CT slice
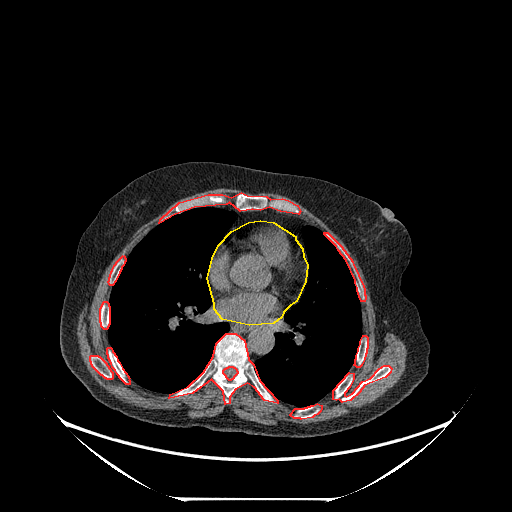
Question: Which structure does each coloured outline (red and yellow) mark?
Answer: red: bones; yellow: pericardium.
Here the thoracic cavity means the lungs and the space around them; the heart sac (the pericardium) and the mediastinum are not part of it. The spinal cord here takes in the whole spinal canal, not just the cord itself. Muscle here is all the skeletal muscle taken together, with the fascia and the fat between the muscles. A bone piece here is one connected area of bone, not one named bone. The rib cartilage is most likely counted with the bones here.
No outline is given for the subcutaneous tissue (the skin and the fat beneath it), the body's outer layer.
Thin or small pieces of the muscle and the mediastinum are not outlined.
The bones appear in 10 outlined pieces: piece 1: 226,333 235,333 244,340 248,359 253,364 259,380 277,400 277,403 264,400 254,387 247,383 235,389 229,397 229,403 225,404 223,391 211,379 192,393 169,398 170,394 188,386 203,372 213,356 216,343, around a hole outlined by 229,366 232,366 233,367 234,367 236,369 236,370 237,371 237,373 233,377 233,378 232,379 231,379 230,380 229,380 226,377 226,376 223,373 223,370 225,368 226,368 227,367 228,367; piece 2: 241,192 247,195 266,196 270,199 282,198 288,200 297,205 300,211 298,214 280,211 269,207 260,210 252,209 240,211 229,202 226,204 194,207 175,214 159,223 160,219 179,202 208,194 222,194 231,197; piece 3: 384,365 388,365 391,368 390,372 385,377 364,385 359,392 350,400 342,402 339,399 336,400 333,399 333,390 349,372 353,373 353,379 349,387 344,393 344,395 346,396 352,393 362,381 370,378 379,368; piece 4: 324,232 327,232 341,246 352,261 353,265 358,274 358,276 362,283 364,289 364,294 365,295 365,299 364,301 361,301 360,299 357,290 357,287 355,283 355,280 346,260 338,250 336,246 324,234; piece 5: 317,403 321,405 321,409 320,411 317,414 314,415 312,417 301,419 300,418 294,418 290,415 290,414 295,408 304,408 305,407 307,407 308,406 310,406 311,405 313,405; piece 6: 91,355 97,355 98,356 99,356 106,363 106,364 108,366 108,367 110,369 110,370 112,372 112,378 111,379 107,379 106,378 105,378 102,375 101,375 92,366 92,365 91,364 91,362 90,361 90,356; piece 7: 108,347 110,347 111,348 112,351 116,356 117,360 119,362 122,368 128,376 129,378 128,379 129,380 129,384 126,384 119,377 119,376 117,374 115,370 112,367 111,363 108,358 108,355 107,354 107,348; piece 8: 363,335 365,335 367,337 367,348 366,349 366,353 365,354 364,359 361,365 359,367 357,367 355,365 354,365 354,364 355,363 355,359 356,358 356,355 358,351 358,348 360,344 360,341; piece 9: 104,301 106,301 108,303 108,305 109,306 109,324 108,325 108,326 107,327 107,328 106,329 104,329 101,326 101,323 100,322 100,308 101,307 101,306 102,305 102,304 103,303 103,302; piece 10: 123,255 125,258 125,261 124,262 123,265 121,267 121,269 120,270 120,271 119,272 115,281 112,285 110,285 109,284 108,281 109,280 109,277 110,276 111,271 112,270 114,265 116,263 116,262. The pericardium is outlined by 260,220 273,222 295,236 295,239 302,248 303,256 307,265 305,281 296,301 290,305 283,312 281,317 273,323 249,325 222,319 214,309 214,303 207,278 212,258 218,245 231,231 248,222. The thoracic cavity appears in 2 outlined pieces: piece 1: 217,205 234,211 235,219 214,250 205,280 211,295 209,309 217,320 227,322 229,329 217,340 206,366 191,383 172,393 152,391 129,377 111,347 107,329 110,324 109,299 112,286 128,255 154,227 185,211; piece 2: 306,225 312,225 323,232 345,260 360,300 362,335 354,363 332,391 316,403 294,407 277,399 266,388 255,370 254,362 274,348 275,333 284,322 284,315 299,301 304,292 309,275 309,263 303,239 303,228. The muscle is outlined by 216,188 253,194 208,193 177,202 126,257 123,254 113,265 107,281 111,290 108,302 104,300 99,308 99,322 107,332 110,346 106,354 118,377 126,385 130,384 130,378 144,389 169,394 172,400 198,391 211,380 222,391 225,405 230,403 235,390 249,384 264,401 277,404 278,400 291,406 294,408 289,415 303,420 321,411 318,402 328,394 332,392 334,401 350,401 364,386 391,372 392,368 384,364 345,395 354,379 350,369 362,365 368,348 368,337 363,334 361,302 366,299 363,283 342,246 327,231 298,215 301,211 297,204 282,197 256,194 271,192 302,205 341,239 363,273 375,314 376,343 381,348 385,334 391,332 406,345 403,375 373,403 335,418 305,424 268,425 243,419 228,407 214,416 191,418 180,410 150,409 124,402 91,376 81,357 76,328 79,314 91,303 106,267 143,224 181,198, around a hole outlined by 91,355 97,355 98,356 99,356 106,363 106,364 108,366 108,367 110,369 110,370 112,372 112,378 111,379 107,379 106,378 105,378 102,375 101,375 92,366 92,365 91,364 91,362 90,361 90,356. The mediastinum appears in 3 outlined pieces: piece 1: 218,205 231,206 240,212 269,208 295,214 311,224 306,224 302,228 308,263 308,275 303,292 295,304 292,305 302,291 306,281 308,269 308,265 303,248 296,236 273,221 260,219 248,221 231,230 224,237 234,223 236,213 234,210; piece 2: 286,310 283,315 283,322 279,324 277,330 274,333 275,344 273,348 268,353 255,360 253,363 249,359 248,347 242,336 235,332 228,332 230,329 230,325 228,322 249,326 257,326 265,324 269,325 279,320; piece 3: 212,301 213,303 213,309 215,310 217,315 219,316 219,317 222,320 225,320 220,320 216,318 216,316 214,314 212,310 210,309 210,307 212,304. The torso is outlined by 189,161 221,162 311,176 372,199 393,212 406,227 412,244 400,289 417,307 430,345 427,375 409,395 363,425 313,437 158,425 111,409 92,396 67,367 59,344 61,310 80,237 101,206 130,181 151,170. The spinal cord is outlined by 229,366 232,366 233,367 234,367 236,369 236,370 237,371 237,373 233,377 233,378 232,379 231,379 230,380 229,380 226,377 226,376 223,373 223,370 225,368 226,368 227,367 228,367.